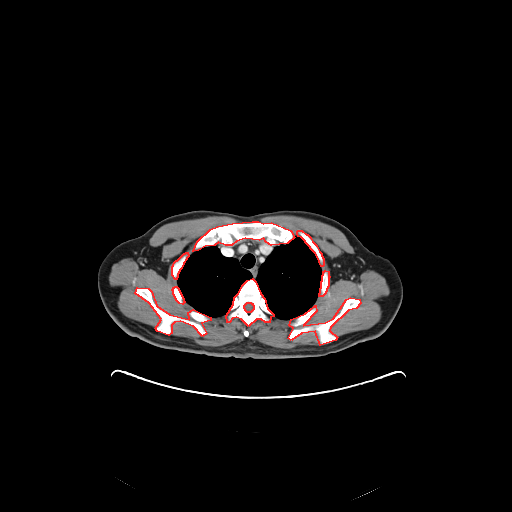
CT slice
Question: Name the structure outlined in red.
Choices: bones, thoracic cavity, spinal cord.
Answer: red: bones.
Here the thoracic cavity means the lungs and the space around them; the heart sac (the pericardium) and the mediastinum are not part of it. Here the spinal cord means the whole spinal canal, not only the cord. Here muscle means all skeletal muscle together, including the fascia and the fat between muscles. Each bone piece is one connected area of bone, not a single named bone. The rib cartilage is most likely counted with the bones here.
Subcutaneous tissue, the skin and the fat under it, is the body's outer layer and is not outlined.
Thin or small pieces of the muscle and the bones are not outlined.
{"bones":[[[252,221],[258,221],[263,223],[271,222],[290,230],[294,237],[287,243],[271,245],[266,242],[263,238],[259,240],[245,238],[236,241],[231,245],[225,245],[218,242],[214,245],[205,246],[198,250],[193,251],[197,241],[210,229],[217,226],[232,223]],{"outer":[[252,278],[255,281],[260,293],[264,298],[267,308],[273,314],[273,316],[270,317],[269,322],[265,322],[261,319],[256,319],[248,326],[241,319],[236,317],[232,318],[229,322],[227,322],[226,315],[233,304],[234,297],[238,293],[243,284],[247,280]],"hole":[[247,302],[250,302],[251,303],[252,303],[252,304],[253,305],[253,309],[250,312],[247,312],[245,310],[245,309],[244,308],[244,305]]},[[350,297],[359,299],[360,303],[356,308],[348,310],[330,327],[329,330],[337,337],[335,340],[320,345],[315,331],[301,333],[291,340],[288,338],[293,328],[289,325],[291,319],[305,313],[315,305],[316,311],[303,325],[325,322],[333,318],[346,299]],[[137,287],[148,288],[151,291],[156,305],[169,314],[189,319],[188,312],[193,309],[210,317],[210,320],[201,323],[206,333],[202,336],[193,326],[180,321],[174,322],[171,325],[171,333],[168,335],[157,331],[155,328],[161,319],[149,303],[135,293]],[[298,230],[301,230],[306,234],[307,234],[310,237],[312,241],[316,245],[319,251],[321,253],[321,255],[323,258],[323,265],[322,266],[321,266],[319,262],[319,260],[315,253],[305,242],[305,241],[301,237],[298,236],[297,234],[297,231]],[[186,252],[187,252],[187,253],[188,254],[188,256],[186,258],[186,259],[183,263],[181,268],[179,270],[179,271],[177,274],[177,277],[176,278],[176,279],[175,279],[172,275],[172,266],[173,265],[174,262],[176,260],[177,260],[184,253],[185,253]],[[325,270],[328,271],[328,275],[329,276],[329,277],[328,278],[328,286],[326,289],[326,291],[325,292],[325,293],[322,296],[319,296],[319,293],[320,292],[320,288],[321,287],[321,281],[322,280],[322,275],[323,274],[323,271],[324,271]],[[175,286],[176,286],[178,288],[178,289],[179,290],[179,291],[180,292],[180,293],[183,298],[183,300],[184,301],[184,302],[182,304],[179,303],[176,300],[176,299],[173,294],[173,291],[172,290],[172,289],[173,288],[173,287],[174,287]]],"mediastinum":[[[245,239],[251,239],[254,241],[259,241],[263,239],[266,243],[271,246],[275,246],[260,265],[254,279],[252,277],[252,274],[248,270],[243,268],[236,258],[223,255],[220,249],[216,245],[216,244],[221,244],[225,246],[231,246],[236,242],[239,242]]],"spinal_cord":[[[247,302],[250,302],[251,303],[252,303],[252,304],[253,305],[253,309],[250,312],[247,312],[245,310],[245,309],[244,308],[244,305]]],"torso":[[[198,209],[239,215],[293,209],[311,211],[337,220],[351,230],[369,250],[387,258],[396,268],[403,287],[403,298],[397,314],[380,336],[316,357],[216,357],[161,348],[127,334],[112,320],[100,299],[97,273],[102,260],[116,245],[143,234],[160,220]]],"thoracic_cavity":[[[295,236],[301,238],[304,241],[314,253],[318,260],[322,272],[320,287],[318,295],[313,305],[309,309],[293,318],[282,319],[274,316],[274,314],[268,308],[265,301],[265,298],[261,293],[255,279],[261,265],[274,248],[280,244],[284,245],[287,244]],[[215,245],[223,256],[236,259],[239,265],[251,274],[251,278],[247,279],[239,288],[237,293],[233,297],[232,304],[227,313],[220,316],[211,317],[194,309],[191,305],[184,300],[178,287],[177,278],[184,263],[192,253],[205,247],[210,247]]],"muscle":[[[276,215],[292,215],[318,220],[337,228],[345,235],[353,247],[354,253],[343,252],[329,261],[333,281],[340,278],[345,279],[366,270],[373,270],[385,278],[390,291],[383,300],[382,315],[373,326],[339,337],[330,330],[348,311],[356,309],[360,305],[361,300],[354,296],[346,298],[339,311],[330,319],[304,325],[317,311],[317,306],[314,304],[318,296],[322,297],[329,286],[329,271],[326,269],[322,271],[324,265],[322,253],[303,230],[298,229],[297,235],[295,235],[290,229],[278,223],[258,220],[214,226],[196,241],[193,252],[189,255],[186,251],[173,262],[171,275],[176,280],[177,286],[172,287],[172,294],[179,304],[182,305],[186,302],[193,308],[187,312],[189,318],[169,313],[159,307],[153,298],[152,291],[146,286],[137,286],[134,293],[144,299],[159,317],[160,321],[154,329],[147,324],[126,317],[119,310],[118,294],[108,279],[111,267],[121,259],[129,257],[142,268],[154,269],[164,276],[168,263],[161,260],[160,248],[149,244],[149,239],[161,226],[170,222],[208,216],[258,220]],[[224,315],[227,323],[236,318],[241,320],[247,327],[256,320],[269,323],[271,321],[271,317],[289,320],[288,325],[292,328],[287,338],[290,341],[301,334],[315,332],[319,345],[299,345],[292,348],[278,348],[245,338],[240,341],[234,341],[219,346],[205,346],[196,343],[190,338],[169,335],[172,333],[172,325],[174,323],[180,322],[193,327],[202,337],[207,333],[207,330],[202,325],[202,323],[208,322],[212,318]]]}